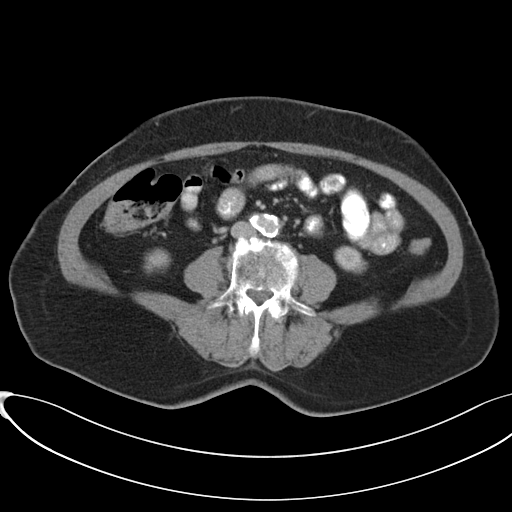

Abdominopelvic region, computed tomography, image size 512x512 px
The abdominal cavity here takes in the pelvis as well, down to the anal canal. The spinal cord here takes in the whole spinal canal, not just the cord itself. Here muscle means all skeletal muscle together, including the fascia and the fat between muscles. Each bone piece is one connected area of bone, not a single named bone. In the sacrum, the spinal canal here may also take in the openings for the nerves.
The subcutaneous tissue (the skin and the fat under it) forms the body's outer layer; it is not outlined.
{"muscle":[{"outer":[[254,140],[258,141],[303,142],[304,143],[316,144],[321,146],[326,146],[336,149],[341,149],[344,151],[350,152],[395,168],[409,175],[432,190],[447,205],[453,213],[459,226],[463,243],[463,265],[462,269],[457,281],[450,292],[446,296],[442,298],[428,302],[423,305],[402,309],[400,311],[397,311],[393,313],[384,313],[378,317],[370,319],[367,321],[348,326],[343,330],[340,337],[336,341],[334,341],[326,349],[324,353],[318,356],[307,366],[303,368],[296,368],[292,366],[289,366],[279,371],[271,371],[267,369],[257,360],[253,360],[252,359],[247,359],[241,366],[234,368],[225,367],[216,363],[204,360],[190,350],[186,344],[180,338],[178,338],[176,336],[171,326],[167,321],[151,311],[149,311],[132,302],[127,298],[114,297],[111,295],[99,293],[95,290],[83,288],[68,282],[61,273],[57,257],[58,234],[61,225],[63,223],[68,211],[73,204],[81,196],[96,184],[118,170],[125,168],[130,165],[145,161],[157,155],[161,155],[178,149],[186,147],[192,147],[212,142],[253,141]],"hole":[[247,146],[388,179],[433,218],[445,263],[389,302],[321,309],[337,274],[299,254],[290,293],[315,315],[290,308],[279,322],[264,311],[253,356],[253,314],[207,308],[230,282],[222,246],[183,269],[193,302],[116,285],[79,245],[114,190],[148,166]]}],"abdominal_cavity":[[[247,146],[337,159],[388,179],[433,218],[445,263],[389,302],[373,294],[321,309],[337,284],[334,269],[287,242],[251,236],[238,238],[229,258],[216,245],[185,266],[183,282],[200,296],[193,302],[116,285],[79,245],[82,228],[114,190],[148,166]]],"torso":[[[241,95],[290,97],[365,113],[402,129],[430,153],[462,199],[497,285],[499,329],[478,366],[388,404],[315,417],[254,385],[186,407],[160,408],[101,388],[45,363],[30,351],[16,321],[7,275],[12,256],[39,211],[87,164],[142,121],[182,105]]],"bones":[{"outer":[[251,237],[291,246],[297,254],[299,270],[290,293],[315,311],[311,316],[290,308],[280,322],[264,311],[259,319],[259,350],[253,356],[248,349],[254,330],[253,314],[239,315],[235,309],[228,311],[226,305],[207,308],[229,286],[230,258],[235,242]],"hole":[[249,290],[254,290],[255,291],[264,291],[265,292],[269,292],[270,293],[271,293],[272,294],[271,295],[271,296],[270,296],[268,298],[267,298],[265,300],[264,300],[260,304],[257,304],[248,295],[248,294],[247,293],[247,292]]}],"spinal_cord":[[[249,290],[254,290],[255,291],[264,291],[265,292],[269,292],[270,293],[271,293],[272,294],[271,295],[271,296],[270,296],[268,298],[267,298],[265,300],[264,300],[260,304],[257,304],[248,295],[248,294],[247,293],[247,292]]]}